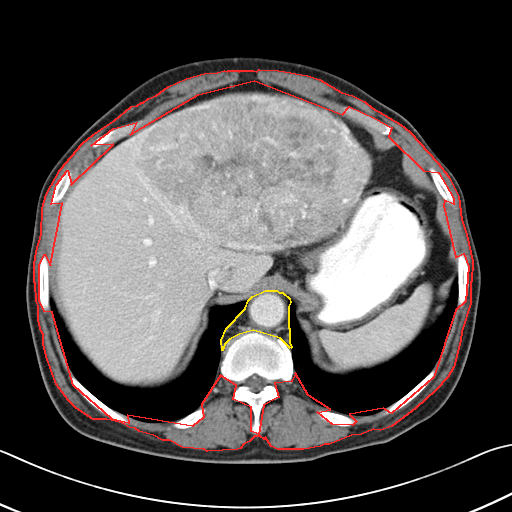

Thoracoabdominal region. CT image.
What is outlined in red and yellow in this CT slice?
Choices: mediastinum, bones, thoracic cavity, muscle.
red: muscle; yellow: mediastinum.
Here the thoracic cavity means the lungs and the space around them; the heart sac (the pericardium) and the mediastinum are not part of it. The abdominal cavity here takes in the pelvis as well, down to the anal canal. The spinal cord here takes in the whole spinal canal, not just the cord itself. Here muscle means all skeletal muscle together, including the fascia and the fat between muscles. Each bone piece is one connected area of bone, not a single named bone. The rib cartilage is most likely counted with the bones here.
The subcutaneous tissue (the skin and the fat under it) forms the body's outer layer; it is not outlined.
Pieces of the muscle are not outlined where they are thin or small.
{"muscle":[{"outer":[[259,69],[278,70],[307,75],[319,79],[341,92],[352,95],[364,101],[371,107],[400,124],[409,131],[437,162],[448,176],[458,196],[461,219],[466,234],[472,261],[471,281],[470,282],[470,303],[461,331],[460,340],[453,367],[447,377],[435,390],[415,408],[391,426],[380,430],[373,429],[361,434],[351,435],[329,444],[324,444],[320,446],[303,449],[277,449],[271,446],[265,437],[264,439],[260,436],[254,436],[249,441],[243,444],[240,448],[237,449],[207,451],[204,449],[182,447],[169,440],[162,440],[153,435],[139,431],[135,428],[129,427],[122,423],[115,421],[106,419],[93,419],[76,408],[68,400],[56,384],[46,356],[43,343],[43,334],[41,331],[38,320],[38,305],[36,301],[35,283],[34,282],[34,264],[36,251],[41,234],[42,208],[46,194],[60,169],[82,143],[93,134],[114,120],[131,106],[137,105],[141,102],[143,102],[148,98],[156,95],[168,86],[186,78],[204,73],[217,72],[224,70],[227,71],[228,70],[238,70],[239,71],[240,70],[253,70],[256,71]],"hole":[[254,80],[342,114],[349,106],[375,118],[391,127],[388,136],[423,170],[438,172],[453,198],[453,204],[444,200],[443,205],[455,257],[463,253],[468,266],[465,301],[455,310],[433,377],[391,413],[383,408],[349,414],[356,421],[352,425],[332,424],[317,412],[330,409],[308,395],[295,373],[291,381],[274,383],[278,397],[263,405],[258,434],[251,431],[251,407],[233,399],[236,385],[220,375],[201,404],[203,417],[192,426],[127,415],[128,423],[112,419],[73,385],[52,312],[44,311],[39,300],[39,265],[44,254],[50,265],[62,203],[51,204],[56,184],[67,170],[71,184],[113,144],[91,145],[113,128],[136,122],[130,134],[198,94]]}],"mediastinum":[[[265,290],[276,290],[279,292],[282,292],[289,298],[290,302],[288,306],[288,327],[289,328],[289,342],[291,347],[290,348],[280,338],[253,330],[239,334],[229,339],[224,344],[222,350],[221,340],[226,328],[245,308],[248,300],[252,296]]],"bones":[{"outer":[[253,331],[283,341],[291,351],[295,372],[291,381],[279,379],[274,383],[278,397],[263,405],[259,416],[261,431],[258,434],[251,431],[254,421],[251,407],[246,402],[233,399],[236,385],[230,380],[223,379],[219,372],[219,364],[225,344],[239,335]],"hole":[[253,374],[256,374],[257,375],[264,378],[267,381],[267,384],[266,385],[265,385],[262,388],[262,389],[261,390],[260,390],[257,392],[254,392],[253,391],[252,391],[248,386],[247,386],[245,384],[244,384],[244,382],[245,381],[245,380]]},[[71,375],[73,375],[83,386],[84,386],[93,395],[94,395],[107,406],[125,415],[128,421],[128,423],[123,423],[122,422],[117,421],[114,419],[112,419],[110,417],[105,415],[102,412],[90,404],[81,395],[81,394],[73,385],[70,379]],[[44,254],[46,256],[46,258],[48,262],[48,286],[49,287],[49,309],[47,311],[44,311],[42,309],[41,307],[41,305],[40,304],[40,301],[39,300],[39,296],[38,295],[38,270],[39,269],[39,265],[40,264],[40,261],[41,260],[41,258]],[[460,253],[463,253],[463,254],[465,256],[465,259],[468,266],[468,272],[469,273],[469,283],[468,284],[468,290],[467,291],[467,295],[466,296],[465,301],[463,305],[459,308],[457,307],[457,304],[458,303],[458,278],[457,277],[457,257]],[[343,106],[349,106],[356,110],[358,110],[360,112],[368,116],[375,118],[381,121],[383,123],[389,125],[392,129],[391,133],[389,135],[384,135],[375,129],[370,127],[368,125],[360,121],[358,121],[355,118],[353,118],[347,115],[342,111],[342,107]],[[432,369],[434,370],[434,375],[433,377],[428,383],[428,384],[413,399],[412,399],[409,402],[408,402],[399,409],[391,413],[389,413],[388,414],[384,414],[384,411],[388,406],[391,405],[400,398],[401,398],[404,395],[405,395],[411,389],[412,389]],[[130,122],[136,122],[137,123],[136,125],[125,135],[120,137],[115,141],[110,141],[94,148],[92,147],[91,145],[92,144],[92,142],[99,136],[104,134],[106,132],[111,130],[113,128],[117,126],[119,126],[123,124],[126,124]],[[318,410],[329,410],[330,411],[333,411],[334,412],[337,412],[338,413],[345,414],[355,419],[356,421],[355,423],[354,423],[350,426],[341,426],[340,425],[336,425],[335,424],[332,424],[322,419],[318,415],[318,413],[317,412]],[[67,170],[70,170],[72,171],[72,177],[71,178],[70,184],[67,188],[67,190],[65,192],[63,197],[57,203],[52,205],[51,204],[51,198],[52,197],[54,189],[56,186],[56,184],[58,180],[60,178],[60,177],[63,174],[63,173]],[[430,167],[433,167],[438,172],[438,173],[441,176],[441,177],[446,183],[446,184],[451,193],[451,195],[453,198],[453,204],[450,204],[449,203],[447,203],[443,199],[443,198],[439,193],[439,192],[438,191],[438,190],[429,173],[429,168]],[[201,405],[203,407],[204,407],[206,410],[203,415],[203,417],[201,419],[201,420],[200,421],[199,421],[196,424],[195,424],[192,426],[187,427],[186,428],[176,428],[173,426],[173,423],[176,420],[178,420],[179,419],[186,416],[188,414],[193,412]]],"thoracic_cavity":[[[456,278],[456,309],[439,356],[433,367],[397,400],[371,414],[346,414],[317,403],[302,388],[296,377],[291,350],[289,327],[290,303],[293,305],[295,319],[307,343],[311,363],[323,372],[347,376],[354,372],[369,370],[383,365],[404,352],[442,315]],[[50,300],[69,338],[98,373],[114,384],[144,390],[161,388],[184,374],[209,326],[210,313],[214,307],[243,301],[246,301],[246,305],[221,336],[221,358],[218,364],[220,375],[215,379],[202,403],[178,419],[148,422],[110,407],[73,374],[58,341]]],"abdominal_cavity":[[[254,80],[388,136],[427,172],[443,200],[455,250],[456,277],[447,303],[397,356],[339,375],[312,363],[290,298],[265,289],[247,301],[210,310],[191,362],[174,381],[153,389],[114,383],[82,355],[50,299],[52,238],[62,199],[120,138],[198,94]]],"spinal_cord":[[[253,374],[256,374],[257,375],[264,378],[267,381],[267,384],[266,385],[265,385],[262,388],[262,389],[261,390],[260,390],[257,392],[254,392],[253,391],[252,391],[248,386],[247,386],[245,384],[244,384],[244,382],[245,381],[245,380]]],"torso":[[[229,56],[298,62],[352,82],[403,115],[449,168],[463,192],[481,271],[467,360],[444,405],[425,421],[385,443],[300,463],[180,461],[115,447],[79,433],[60,416],[45,389],[28,323],[25,289],[36,205],[48,173],[94,121],[148,78],[180,64]]]}